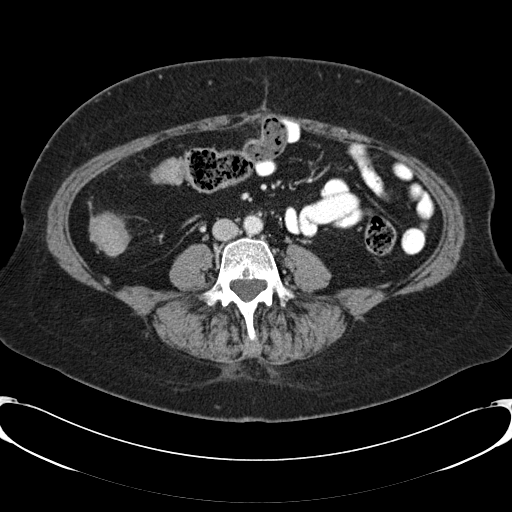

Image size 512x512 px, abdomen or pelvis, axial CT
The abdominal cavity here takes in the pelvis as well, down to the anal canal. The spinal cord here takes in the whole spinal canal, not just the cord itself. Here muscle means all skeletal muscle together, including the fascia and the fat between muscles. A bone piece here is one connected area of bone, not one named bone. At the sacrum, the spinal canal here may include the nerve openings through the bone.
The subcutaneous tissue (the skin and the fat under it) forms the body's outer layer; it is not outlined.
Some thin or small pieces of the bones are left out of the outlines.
The spinal cord is outlined by 253 279; 255 279; 256 280; 259 280; 260 281; 262 281; 264 284; 264 288; 262 290; 261 290; 252 299; 251 299; 248 301; 244 301; 231 288; 231 284; 233 281; 235 281; 236 280; 252 280. The muscle is outlined by 243 112; 278 112; 351 128; 407 152; 425 163; 445 180; 460 199; 461 203; 465 223; 465 238; 462 254; 452 274; 428 289; 391 298; 365 316; 322 352; 304 360; 295 360; 281 365; 267 363; 254 358; 224 364; 182 354; 160 342; 147 327; 142 318; 126 303; 72 277; 54 260; 48 250; 46 243; 46 225; 47 209; 53 196; 64 179; 75 168; 99 153; 135 138; 207 117 with a hole at 262 116; 381 150; 410 168; 443 227; 407 277; 324 292; 330 270; 289 243; 279 275; 295 297; 258 306; 253 342; 233 303; 198 297; 219 271; 205 243; 173 260; 168 278; 177 290; 111 284; 79 253; 70 209; 100 173; 166 139. The torso is outlined by 257 55; 329 60; 382 74; 435 102; 470 136; 492 177; 491 234; 511 271; 511 349; 504 355; 354 411; 294 421; 233 422; 172 413; 111 395; 0 341; 0 266; 20 236; 20 202; 28 176; 58 126; 93 95; 136 73; 185 61. The abdominal cavity is outlined by 262 116; 381 150; 410 168; 443 227; 407 277; 324 292; 332 273; 312 251; 289 243; 279 272; 262 237; 242 236; 223 246; 217 264; 205 243; 186 247; 168 271; 177 290; 164 290; 111 284; 79 253; 70 209; 100 173; 166 139. The bones are outlined by 242 237; 262 238; 268 244; 282 283; 295 294; 295 297; 287 300; 284 306; 279 304; 275 295; 270 306; 262 303; 258 306; 253 315; 255 342; 249 340; 245 320; 233 303; 224 307; 218 301; 211 306; 198 297; 215 283; 224 246, around a hole outlined by 253 279; 255 279; 256 280; 259 280; 260 281; 262 281; 264 284; 264 288; 262 290; 261 290; 252 299; 251 299; 248 301; 244 301; 231 288; 231 284; 233 281; 235 281; 236 280; 252 280.